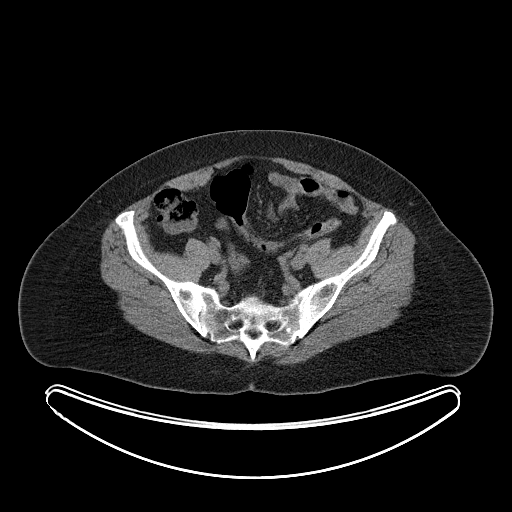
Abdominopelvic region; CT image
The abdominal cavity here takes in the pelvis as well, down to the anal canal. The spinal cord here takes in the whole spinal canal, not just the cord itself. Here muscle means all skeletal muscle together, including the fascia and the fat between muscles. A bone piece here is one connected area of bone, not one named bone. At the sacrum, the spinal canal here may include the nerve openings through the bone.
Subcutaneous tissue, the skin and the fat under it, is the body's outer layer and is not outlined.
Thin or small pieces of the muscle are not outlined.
The abdominal cavity is outlined by [[243,159],[268,160],[349,190],[364,208],[367,221],[354,242],[332,248],[324,237],[307,248],[318,280],[283,305],[255,294],[223,303],[214,287],[198,283],[212,259],[210,248],[190,237],[181,255],[156,250],[144,223],[162,189],[198,188],[215,169]]. The spinal cord appears in 3 outlined pieces: piece 1: [[267,322],[277,322],[279,324],[279,326],[278,327],[277,327],[275,329],[275,330],[274,331],[269,331],[267,329],[267,328],[265,326],[265,324]]; piece 2: [[233,320],[240,320],[241,321],[241,324],[237,328],[231,328],[228,325],[228,324],[230,322],[231,322]]; piece 3: [[247,331],[255,331],[256,332],[259,332],[259,334],[256,337],[252,337],[251,336],[249,336],[248,335],[247,335],[246,334],[246,332]]. The bones are outlined by [[128,210],[134,211],[143,252],[160,272],[214,288],[227,306],[247,295],[283,306],[353,263],[384,211],[397,221],[384,233],[375,258],[343,285],[305,335],[288,347],[264,342],[251,361],[241,341],[216,343],[200,335],[166,285],[131,257],[115,222]]; inner edges: [[267,322],[277,322],[279,324],[279,326],[278,327],[277,327],[275,329],[275,330],[274,331],[269,331],[267,329],[267,328],[265,326],[265,324]], then [[233,320],[240,320],[241,321],[241,324],[237,328],[231,328],[228,325],[228,324],[230,322],[231,322]], then [[247,331],[255,331],[256,332],[259,332],[259,334],[256,337],[252,337],[251,336],[249,336],[248,335],[247,335],[246,334],[246,332]]. The muscle is outlined by [[240,154],[309,164],[395,210],[415,236],[415,281],[411,301],[392,324],[337,343],[300,363],[262,360],[250,365],[224,354],[176,347],[123,318],[116,292],[104,283],[99,267],[101,237],[114,218],[130,257],[165,285],[191,327],[216,344],[241,342],[251,362],[264,343],[288,348],[305,336],[333,306],[344,285],[376,258],[385,233],[398,221],[386,209],[353,262],[338,273],[316,278],[308,248],[324,238],[331,239],[332,249],[354,243],[368,221],[362,200],[349,189],[280,163],[243,158],[215,168],[203,185],[186,190],[169,186],[153,195],[143,223],[156,251],[181,256],[190,238],[211,251],[197,282],[176,280],[160,271],[142,248],[135,211],[121,211],[171,178]]. The torso is outlined by [[243,129],[293,130],[344,141],[417,186],[476,257],[490,285],[491,335],[474,367],[456,376],[408,374],[321,393],[248,390],[225,395],[158,389],[101,373],[50,367],[28,353],[19,330],[18,293],[26,265],[45,237],[104,181],[141,157],[188,138]].